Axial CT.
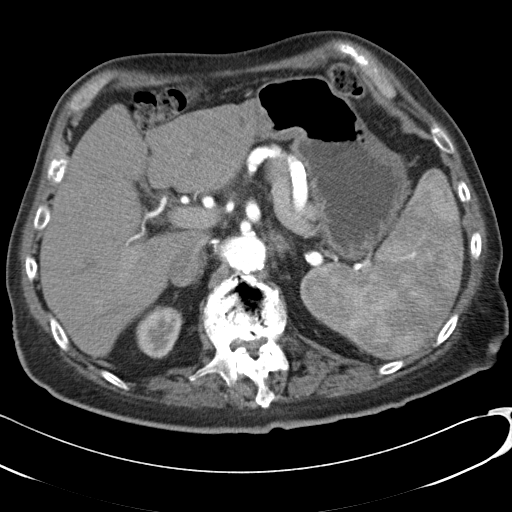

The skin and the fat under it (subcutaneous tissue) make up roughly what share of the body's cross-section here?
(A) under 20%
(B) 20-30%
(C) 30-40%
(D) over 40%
(A) under 20%
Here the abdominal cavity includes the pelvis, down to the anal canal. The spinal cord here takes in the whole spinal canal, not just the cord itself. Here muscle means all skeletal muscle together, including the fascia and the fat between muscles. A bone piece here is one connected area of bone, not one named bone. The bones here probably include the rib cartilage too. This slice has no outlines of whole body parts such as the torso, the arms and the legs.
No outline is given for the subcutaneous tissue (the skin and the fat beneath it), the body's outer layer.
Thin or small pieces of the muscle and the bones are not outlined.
The mediastinum is outlined by [[400,105],[406,108],[410,112],[414,114],[417,118],[418,118],[421,121],[422,121],[429,129],[429,132],[427,132],[422,127],[417,125],[414,122],[414,121],[411,118],[411,117],[407,113],[406,113],[402,109],[397,107],[397,106],[399,106]]. The spinal cord is outlined by [[261,338],[265,338],[266,339],[266,341],[262,343],[259,346],[255,354],[256,355],[255,357],[252,356],[247,350],[247,349],[243,345],[238,345],[234,348],[232,348],[232,346],[234,345],[238,345],[243,341],[245,342],[249,342],[250,341],[259,340]]. The muscle is outlined by [[331,38],[348,39],[371,51],[453,138],[487,233],[483,276],[461,337],[437,360],[376,388],[270,405],[277,396],[266,383],[269,373],[290,368],[282,345],[287,325],[335,354],[380,365],[380,375],[392,374],[404,360],[434,340],[433,346],[439,346],[454,331],[469,256],[477,260],[482,252],[480,232],[468,233],[465,203],[470,190],[464,180],[457,182],[444,154],[455,152],[448,134],[436,122],[429,128],[388,99],[397,93],[378,66],[350,43],[336,41],[333,49],[360,67],[335,58],[323,66],[104,89],[83,111],[67,152],[59,141],[53,145],[62,155],[51,158],[46,178],[57,185],[51,200],[35,210],[33,228],[43,231],[35,257],[24,258],[28,280],[37,274],[36,289],[51,315],[55,343],[64,351],[71,344],[102,368],[99,374],[109,383],[127,391],[123,379],[140,382],[193,365],[206,336],[213,355],[188,380],[216,373],[231,388],[245,376],[256,386],[259,407],[202,410],[130,399],[71,370],[29,315],[18,255],[48,142],[67,100],[106,68],[157,74],[237,68],[288,57]], around a hole outlined by [[103,78],[107,79],[107,81],[106,81],[105,83],[92,95],[91,98],[89,100],[88,100],[80,109],[78,110],[74,110],[72,109],[71,107],[71,104],[74,98],[76,97],[77,94],[80,91],[80,90],[88,86],[92,82],[99,79],[102,79]]. The bones appear in 11 outlined pieces: piece 1: [[234,273],[251,275],[277,288],[287,314],[281,345],[289,368],[268,373],[265,383],[276,397],[266,408],[255,402],[257,386],[245,375],[240,374],[231,387],[216,372],[207,373],[193,381],[188,378],[207,363],[215,352],[203,325],[206,297],[214,286]] with a hole at [[261,338],[265,338],[266,339],[266,341],[262,343],[259,346],[255,354],[256,355],[255,357],[252,356],[247,350],[247,349],[243,345],[238,345],[234,348],[232,348],[232,346],[234,345],[238,345],[243,341],[245,342],[249,342],[250,341],[259,340]]; piece 2: [[336,42],[348,43],[353,46],[360,54],[364,54],[367,56],[369,59],[377,66],[379,70],[380,76],[385,79],[393,87],[396,93],[395,96],[393,98],[387,98],[384,96],[380,92],[372,78],[370,77],[351,57],[334,49],[333,46]]; piece 3: [[57,142],[59,142],[61,144],[62,149],[65,154],[63,155],[65,156],[67,162],[61,180],[58,183],[52,183],[52,182],[47,178],[47,171],[48,170],[50,161],[52,158],[54,157],[58,158],[63,155],[55,152],[53,149],[54,148],[54,145]]; piece 4: [[103,78],[107,79],[107,81],[106,81],[105,83],[92,95],[91,98],[89,100],[88,100],[80,109],[78,110],[74,110],[72,109],[71,107],[71,104],[74,98],[76,97],[77,94],[80,91],[80,90],[88,86],[92,82],[99,79],[102,79]]; piece 5: [[433,123],[436,123],[442,129],[443,129],[443,130],[447,134],[448,137],[450,139],[450,140],[454,147],[454,152],[453,153],[447,153],[446,152],[444,152],[443,151],[442,151],[434,142],[434,141],[432,139],[432,135],[430,132],[430,127]]; piece 6: [[51,316],[55,318],[55,319],[59,323],[59,324],[63,329],[65,334],[67,336],[69,340],[69,344],[68,345],[68,349],[67,350],[64,350],[62,349],[56,343],[52,335],[52,333],[51,332],[51,328],[50,327],[50,322],[49,321],[50,317]]; piece 7: [[454,313],[456,313],[458,315],[458,319],[457,320],[457,323],[455,326],[455,328],[450,334],[450,335],[443,342],[442,342],[439,345],[437,346],[434,346],[434,343],[436,340],[436,337],[438,333],[443,327],[443,326],[446,323],[448,319]]; piece 8: [[41,204],[45,204],[47,205],[49,209],[49,219],[45,227],[43,229],[41,230],[39,230],[38,229],[36,229],[34,228],[34,226],[33,225],[33,221],[34,220],[34,217],[36,213],[36,210],[38,206]]; piece 9: [[475,231],[478,231],[479,232],[479,233],[480,234],[480,235],[481,236],[481,252],[480,253],[480,255],[479,256],[479,257],[477,259],[475,259],[474,258],[473,258],[470,255],[470,238],[471,237],[471,235],[472,234],[472,233],[473,232],[474,232]]; piece 10: [[102,369],[104,369],[105,370],[110,371],[114,374],[115,374],[117,376],[118,376],[127,384],[129,388],[127,390],[125,389],[123,389],[122,388],[120,388],[116,386],[114,384],[106,380],[100,374],[100,371]]; piece 11: [[397,360],[403,360],[403,362],[404,363],[403,366],[399,369],[398,369],[394,372],[393,372],[392,373],[390,373],[389,374],[380,374],[378,372],[378,369],[381,365],[382,365],[385,363],[387,363],[388,362],[392,362],[393,361],[396,361]]. The abdominal cavity is outlined by [[335,59],[361,68],[384,97],[430,133],[466,206],[467,276],[435,339],[405,359],[372,364],[348,358],[288,325],[277,287],[234,272],[205,297],[205,337],[193,364],[134,381],[80,353],[43,305],[35,258],[73,132],[92,101],[108,89],[323,67]].